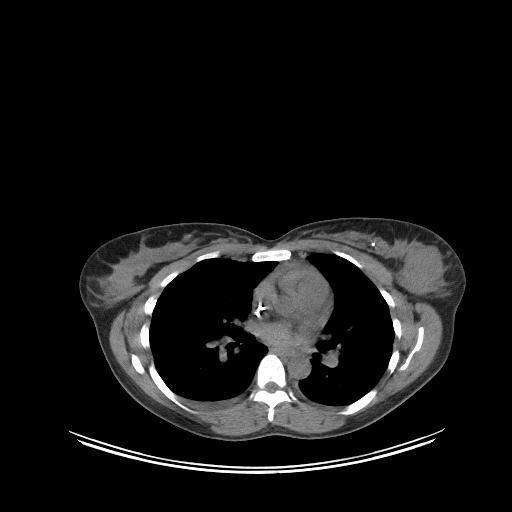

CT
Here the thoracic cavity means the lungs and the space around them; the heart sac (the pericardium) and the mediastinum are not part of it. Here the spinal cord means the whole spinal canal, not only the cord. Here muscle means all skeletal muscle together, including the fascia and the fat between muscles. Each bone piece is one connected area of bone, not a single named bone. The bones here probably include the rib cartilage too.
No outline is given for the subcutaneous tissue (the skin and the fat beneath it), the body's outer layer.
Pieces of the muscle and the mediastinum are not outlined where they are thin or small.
Outlines (x, y in pixels):
bones 1: 267,353 274,354 280,359 283,364 287,380 289,384 293,388 295,394 299,399 299,402 282,401 278,403 274,407 273,420 270,422 267,418 268,405 261,401 253,401 247,399 254,380 257,367 261,359, around a hole outlined by 269,382 273,382 274,383 275,383 278,386 278,388 277,389 276,389 274,391 273,391 272,392 270,392 269,391 268,391 267,390 266,390 265,389 265,385 267,383 268,383
bones 2: 152,362 153,362 154,366 160,377 163,380 165,384 179,397 179,400 183,404 184,404 189,408 197,411 198,413 194,414 181,408 175,403 174,403 170,399 169,399 158,388 158,387 153,381 148,371 148,367
bones 3: 272,248 274,249 285,248 290,250 292,253 292,255 289,259 287,260 281,260 280,261 275,261 274,260 266,260 265,261 252,261 250,259 251,255 255,252 257,251 263,251 264,250 267,250
bones 4: 374,387 377,389 377,393 376,394 375,397 367,405 366,405 358,411 357,411 352,414 339,414 338,413 338,411 341,410 345,406 346,406 347,405 356,401 358,399 359,399 361,397 362,397 365,394 366,394
bones 5: 420,326 422,326 424,329 424,334 423,335 423,340 422,341 421,347 413,354 409,361 409,363 407,367 403,370 399,370 399,367 405,361 409,352 414,347 416,343 417,335 418,334 418,328
bones 6: 144,323 147,323 149,325 149,344 150,345 150,348 149,349 145,349 141,345 141,344 140,343 140,342 139,341 139,332 140,331 140,329 141,328 141,327 142,326 142,325
bones 7: 395,349 397,349 399,351 399,353 400,354 399,355 399,359 396,365 396,367 394,369 392,373 389,374 386,371 386,369 387,368 387,366 388,365 388,363 389,362 389,360 390,359 391,354 393,350
bones 8: 151,295 156,295 158,297 157,298 157,300 155,303 154,308 152,311 151,316 150,316 149,315 146,314 144,312 144,311 143,310 143,306 144,305 144,304 145,303 145,301 147,299 147,298 149,296 150,296
bones 9: 335,249 336,250 338,250 339,251 341,251 342,252 344,252 345,253 347,253 349,254 352,257 353,257 356,260 357,260 363,266 363,267 361,269 349,260 341,256 339,256 333,253 332,251
bones 10: 132,353 135,354 139,358 139,359 140,360 140,361 141,362 141,363 142,364 142,365 144,368 144,373 141,374 140,373 137,372 136,371 136,370 133,367 133,366 132,365 132,363 131,362 131,354
bones 11: 215,250 219,250 221,252 221,254 219,257 212,257 211,258 206,258 205,259 200,260 199,261 194,263 194,261 195,260 195,259 198,256 199,256 202,254 207,253 208,252 211,252 212,251 214,251
bones 12: 379,287 381,287 382,288 383,288 386,291 387,291 391,295 391,296 395,303 395,306 393,308 390,308 389,307 389,306 388,305 388,304 386,302 385,299 383,297 383,296 379,291 379,290 378,289 378,288
bones 13: 175,270 179,270 180,271 180,272 171,281 170,281 163,288 162,288 161,287 160,287 158,285 158,284 168,274 169,274 171,272 172,272 173,271 174,271
bones 14: 393,317 395,317 396,318 397,318 399,320 399,321 400,322 400,323 401,324 401,336 400,337 400,338 396,338 395,337 395,333 394,332 394,329 393,328 393,324 392,323 392,318
muscle: 296,238 299,239 303,239 304,238 320,238 321,239 325,239 332,242 335,242 347,246 356,251 370,255 382,263 392,272 392,285 398,291 405,295 408,301 411,302 413,304 417,301 424,301 429,303 435,308 442,321 442,338 441,339 440,345 433,360 429,366 417,378 407,386 387,397 384,400 377,403 366,411 361,413 358,416 352,417 340,427 329,431 325,431 319,433 301,433 283,426 273,425 269,423 265,427 248,434 244,434 243,435 225,435 224,434 216,433 210,429 207,425 203,423 197,422 155,401 137,386 122,369 120,365 117,362 111,350 110,344 109,343 109,331 110,330 111,324 116,315 122,309 128,309 133,299 148,287 148,283 151,278 161,268 168,264 183,259 198,250 209,246 216,245 222,242 232,242 233,241 237,241 240,243 248,243 250,242 254,244 263,244 266,245 268,247 272,247 281,241 289,241, around holes outlined by 272,248 288,249 293,256 304,252 331,253 335,249 347,253 363,266 361,270 377,288 391,295 395,306 389,309 390,316 401,324 401,336 395,337 392,344 392,349 399,351 399,359 392,373 385,371 374,386 375,397 358,411 339,414 343,406 318,406 299,396 299,402 278,403 270,422 268,405 249,400 246,394 221,407 200,407 180,396 183,404 197,411 194,414 169,399 153,381 148,371 154,361 152,351 141,345 139,332 144,323 151,323 143,306 149,296 161,294 164,289 158,284 175,270 184,272 198,256 208,252 219,250 223,258 244,261 257,251 and by 420,326 422,326 424,329 424,334 423,335 423,340 422,341 421,347 413,354 409,361 409,363 407,367 403,370 399,370 399,367 405,361 409,352 414,347 416,343 417,335 418,334 418,328 and by 132,353 135,354 139,358 139,359 140,360 140,361 141,362 141,363 142,364 142,365 144,368 144,373 141,374 140,373 137,372 136,371 136,370 133,367 133,366 132,365 132,363 131,362 131,354
mediastinum 1: 249,314 249,323 255,335 264,342 274,346 297,347 307,344 316,338 322,329 326,337 319,339 311,350 311,371 305,378 300,379 297,383 289,382 281,359 276,354 268,352 267,346 258,341 255,335 246,328
mediastinum 2: 304,252 313,252 312,252 307,256 307,259 315,266 312,265 310,263 304,262 303,261 288,261 276,266 277,264 276,262 287,261 289,260 292,257 292,256 296,254 297,255 298,254 299,255 300,254 303,254
mediastinum 3: 275,267 275,268 274,269 274,270 273,271 272,271 269,274 268,274 263,279 263,278 267,274 268,274
pericardium: 288,262 303,262 315,267 328,282 331,289 333,299 331,311 327,320 319,332 319,334 311,341 297,346 274,345 271,343 268,343 256,335 252,325 250,323 250,314 252,309 254,290 256,286 273,272 276,267
spinal cord: 269,382 273,382 274,383 275,383 278,386 278,388 277,389 276,389 274,391 273,391 272,392 270,392 269,391 268,391 267,390 266,390 265,389 265,385 267,383 268,383
thoracic cavity 1: 220,257 252,262 274,261 276,263 253,288 251,307 245,322 245,328 254,335 258,342 266,346 267,352 256,367 247,394 221,407 200,407 175,393 159,374 151,350 150,324 158,298 170,282 194,264 206,259
thoracic cavity 2: 314,252 332,253 360,269 377,288 389,308 391,317 394,338 385,371 371,389 344,406 314,405 297,395 290,384 297,384 311,373 312,350 319,340 327,337 323,329 334,308 334,294 329,282 308,259 308,256
torso: 352,216 393,218 427,227 450,244 465,272 465,290 455,313 447,360 426,384 389,413 334,437 269,435 225,441 197,435 158,417 115,378 78,287 85,261 100,245 144,228 192,221 229,224 274,239 309,222